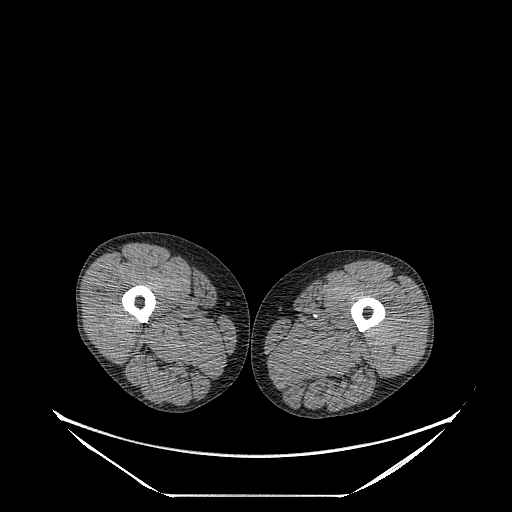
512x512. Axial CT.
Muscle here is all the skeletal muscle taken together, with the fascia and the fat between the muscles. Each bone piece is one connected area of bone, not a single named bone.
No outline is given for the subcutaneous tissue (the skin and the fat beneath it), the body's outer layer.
The right leg is outlined by 137 231; 157 231; 177 235; 207 249; 221 260; 235 276; 248 304; 251 327; 249 348; 242 369; 233 383; 221 394; 187 412; 172 413; 157 410; 127 393; 102 368; 83 343; 78 333; 75 287; 83 263; 92 250; 102 242; 121 234. The muscle appears in 2 outlined pieces: piece 1: 129 242; 160 244; 183 257; 215 283; 231 313; 236 328; 236 341; 232 356; 225 366; 223 373; 207 395; 194 403; 186 405; 159 404; 144 398; 140 393; 130 387; 98 352; 88 339; 82 327; 80 285; 83 275; 90 264; 109 248 with a hole at 138 284; 142 284; 143 285; 147 284; 147 285; 150 287; 152 292; 154 294; 155 299; 157 302; 156 307; 149 316; 148 321; 146 323; 138 322; 131 314; 125 311; 123 309; 123 306; 121 303; 121 297; 124 292; 132 286; 137 285; piece 2: 360 259; 379 260; 387 263; 409 275; 418 284; 429 309; 430 323; 425 351; 416 365; 361 403; 338 411; 314 412; 294 409; 282 400; 273 387; 268 376; 264 360; 263 347; 267 331; 271 324; 314 279; 334 268; 342 266; 345 263 with a hole at 365 295; 368 295; 369 296; 374 297; 379 300; 383 304; 385 308; 385 315; 381 320; 381 321; 377 325; 373 326; 363 332; 361 332; 358 330; 357 326; 351 316; 350 308; 352 305; 352 303; 353 303; 358 297; 364 296. The left leg is outlined by 344 249; 364 249; 388 253; 407 262; 416 270; 425 284; 432 304; 434 315; 432 350; 425 365; 397 391; 377 405; 367 410; 341 416; 319 419; 300 417; 276 406; 258 387; 251 367; 249 349; 251 328; 262 299; 282 276; 313 257. The bones appear in 2 outlined pieces: piece 1: 138 284; 142 284; 143 285; 147 284; 147 285; 150 287; 152 292; 154 294; 155 299; 157 302; 156 307; 149 316; 148 321; 146 323; 138 322; 131 314; 125 311; 123 309; 123 306; 121 303; 121 297; 124 292; 132 286; 137 285; piece 2: 365 295; 368 295; 369 296; 374 297; 379 300; 383 304; 385 308; 385 315; 381 320; 381 321; 377 325; 373 326; 363 332; 361 332; 358 330; 357 326; 351 316; 350 308; 352 305; 352 303; 353 303; 358 297; 364 296.